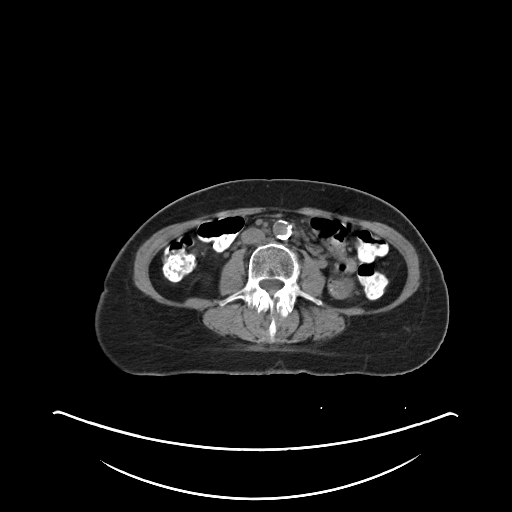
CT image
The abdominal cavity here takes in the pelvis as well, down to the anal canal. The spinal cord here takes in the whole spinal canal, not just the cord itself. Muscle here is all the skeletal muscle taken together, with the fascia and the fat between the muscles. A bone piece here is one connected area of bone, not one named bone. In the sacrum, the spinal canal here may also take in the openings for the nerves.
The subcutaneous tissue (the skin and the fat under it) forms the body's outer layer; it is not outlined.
Outlines (x, y in pixels):
abdominal cavity: 261 212; 336 216; 377 232; 405 262; 399 294; 368 309; 333 306; 321 299; 326 277; 318 261; 306 253; 299 259; 271 241; 258 245; 247 264; 244 249; 232 252; 220 270; 219 297; 166 297; 153 285; 150 265; 168 239; 220 214
spinal cord: 263 280; 277 280; 278 281; 279 281; 281 283; 281 286; 277 290; 276 290; 274 292; 274 293; 272 295; 271 295; 270 294; 269 294; 269 293; 265 289; 264 289; 262 287; 261 287; 261 286; 260 285; 260 282; 261 281; 262 281
muscle 1: 305 206; 385 223; 398 231; 413 245; 419 259; 420 283; 416 291; 411 296; 388 312; 378 315; 352 317; 341 333; 320 344; 304 347; 282 343; 271 343; 268 345; 248 345; 242 342; 236 342; 228 339; 227 337; 219 336; 208 329; 202 323; 194 310; 178 308; 159 303; 137 288; 133 282; 133 263; 138 247; 153 233; 167 225; 194 219; 210 213; 241 207; 280 207; 296 209 with holes at 261 212; 336 216; 377 232; 405 262; 399 294; 368 309; 323 301; 318 305; 298 296; 286 316; 258 312; 240 298; 220 305; 247 280; 245 250; 240 248; 221 267; 219 297; 182 301; 166 297; 153 285; 150 265; 168 239; 220 214 and at 271 316; 272 316; 273 317; 273 318; 274 319; 274 321; 275 322; 275 328; 276 329; 275 330; 275 334; 274 335; 274 341; 273 342; 270 342; 269 341; 269 333; 268 332; 268 329; 269 328; 269 325; 270 324; 270 322; 271 321
muscle 2: 303 254; 306 254; 311 258; 317 261; 317 263; 319 264; 319 269; 325 277; 325 282; 324 283; 324 286; 320 298; 316 297; 310 293; 303 290; 300 287; 297 281; 301 272; 301 265; 299 262; 299 260; 302 259
torso: 244 178; 299 178; 337 183; 369 192; 399 209; 430 247; 448 289; 449 322; 435 354; 419 368; 393 376; 328 376; 305 372; 156 376; 134 375; 114 366; 100 350; 93 331; 94 309; 114 256; 147 218; 168 203; 217 183
bones 1: 271 242; 280 243; 297 254; 300 272; 296 281; 303 291; 320 299; 322 304; 318 305; 298 296; 292 310; 286 316; 276 311; 272 314; 268 311; 258 312; 254 306; 248 306; 240 298; 220 305; 220 300; 245 285; 252 252; 258 246 with a hole at 263 280; 277 280; 278 281; 279 281; 281 283; 281 286; 277 290; 276 290; 274 292; 274 293; 272 295; 271 295; 270 294; 269 294; 269 293; 265 289; 264 289; 262 287; 261 287; 261 286; 260 285; 260 282; 261 281; 262 281
bones 2: 271 316; 272 316; 273 317; 273 318; 274 319; 274 321; 275 322; 275 328; 276 329; 275 330; 275 334; 274 335; 274 341; 273 342; 270 342; 269 341; 269 333; 268 332; 268 329; 269 328; 269 325; 270 324; 270 322; 271 321